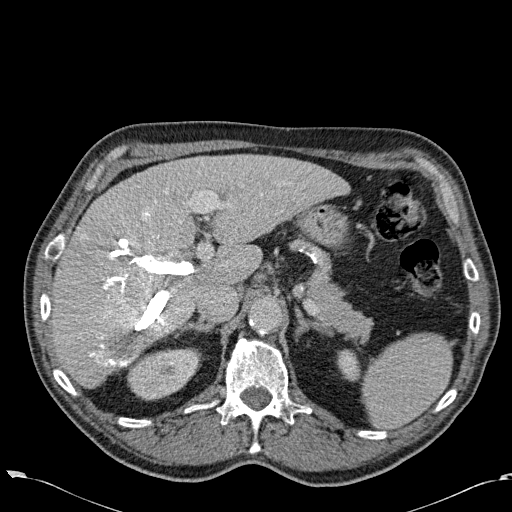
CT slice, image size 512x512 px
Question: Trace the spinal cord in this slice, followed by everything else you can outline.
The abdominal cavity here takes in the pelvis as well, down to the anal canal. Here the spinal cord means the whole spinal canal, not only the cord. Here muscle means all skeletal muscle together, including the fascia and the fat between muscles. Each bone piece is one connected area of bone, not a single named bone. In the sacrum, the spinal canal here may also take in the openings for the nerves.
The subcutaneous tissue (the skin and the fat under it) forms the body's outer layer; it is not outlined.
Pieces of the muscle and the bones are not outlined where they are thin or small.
Answer: Outlines:
spinal cord: (249, 387) (254, 387) (255, 388) (259, 388) (260, 387) (262, 387) (266, 389) (267, 391) (271, 395) (271, 399) (270, 401) (266, 405) (265, 405) (262, 408) (258, 410) (256, 410) (255, 409) (251, 408) (243, 401) (243, 400) (240, 396) (241, 393) (244, 390) (245, 390)
abdominal cavity: (240, 148) (287, 150) (372, 169) (411, 169) (429, 180) (462, 260) (469, 315) (452, 386) (415, 421) (391, 431) (346, 425) (289, 381) (276, 346) (255, 337) (234, 342) (224, 384) (208, 386) (150, 417) (100, 409) (59, 367) (50, 335) (52, 273) (92, 197) (133, 166)
bones 1: (244, 337) (261, 340) (281, 352) (288, 371) (289, 397) (312, 408) (309, 414) (296, 413) (291, 425) (264, 416) (257, 432) (261, 448) (252, 454) (248, 449) (253, 430) (246, 414) (222, 425) (214, 407) (183, 412) (195, 403) (214, 398) (223, 401) (226, 364) (235, 342) with a hole at (249, 387) (254, 387) (255, 388) (259, 388) (260, 387) (262, 387) (266, 389) (267, 391) (271, 395) (271, 399) (270, 401) (266, 405) (265, 405) (262, 408) (258, 410) (256, 410) (255, 409) (251, 408) (243, 401) (243, 400) (240, 396) (241, 393) (244, 390) (245, 390)
bones 2: (418, 157) (424, 158) (433, 164) (445, 177) (448, 182) (453, 193) (457, 206) (457, 211) (459, 214) (458, 223) (457, 224) (455, 224) (450, 218) (450, 216) (443, 201) (442, 195) (438, 187) (438, 182) (435, 179) (433, 175) (424, 167) (420, 165) (416, 160) (416, 158)
bones 3: (123, 144) (126, 145) (127, 147) (125, 152) (110, 162) (105, 161) (104, 162) (104, 168) (101, 173) (101, 175) (98, 178) (98, 180) (95, 184) (95, 187) (89, 191) (86, 190) (85, 189) (86, 183) (91, 178) (96, 166) (99, 163) (104, 161) (105, 156) (112, 149)
bones 4: (61, 232) (64, 233) (66, 237) (65, 246) (63, 249) (63, 251) (61, 253) (59, 257) (55, 261) (53, 261) (49, 259) (45, 259) (44, 258) (44, 251) (45, 250) (45, 248) (47, 244) (57, 234)
bones 5: (54, 368) (59, 368) (67, 376) (67, 377) (69, 379) (69, 380) (72, 384) (72, 385) (79, 393) (79, 394) (77, 396) (73, 396) (72, 395) (71, 395) (68, 392) (67, 392) (56, 381) (56, 380) (54, 378) (54, 377) (53, 376) (53, 374) (52, 373) (52, 370)
bones 6: (118, 416) (124, 416) (125, 417) (137, 418) (138, 419) (140, 418) (146, 418) (152, 421) (153, 423) (152, 425) (149, 425) (148, 426) (145, 426) (144, 427) (139, 427) (138, 428) (135, 428) (134, 427) (126, 427) (125, 426) (122, 426) (117, 423) (116, 419)
bones 7: (467, 257) (469, 257) (472, 260) (472, 261) (474, 263) (474, 264) (477, 269) (477, 271) (478, 272) (478, 275) (479, 276) (479, 278) (477, 281) (471, 281) (470, 280) (468, 280) (465, 277) (465, 276) (464, 275) (464, 273) (463, 272) (463, 268) (462, 267) (462, 261)
bones 8: (452, 387) (454, 388) (456, 388) (457, 389) (457, 394) (455, 398) (453, 400) (453, 401) (451, 402) (447, 406) (441, 409) (439, 411) (435, 413) (432, 412) (432, 410) (434, 408) (434, 407) (436, 405) (438, 401) (442, 397) (442, 396)
bones 9: (43, 292) (45, 292) (49, 296) (49, 298) (50, 299) (50, 311) (49, 312) (49, 316) (48, 317) (48, 318) (45, 321) (42, 321) (42, 320) (41, 319) (41, 315) (40, 314) (40, 297) (41, 296) (41, 294)
bones 10: (359, 430) (376, 430) (377, 431) (386, 431) (387, 432) (387, 436) (385, 438) (383, 438) (382, 439) (367, 439) (366, 438) (363, 438) (362, 437) (360, 437) (359, 436) (358, 436) (356, 434) (356, 432) (357, 431) (358, 431)
torso: (183, 120) (402, 128) (431, 139) (457, 163) (492, 256) (501, 316) (475, 394) (427, 447) (381, 474) (340, 486) (308, 486) (258, 464) (242, 465) (199, 482) (171, 481) (110, 457) (50, 396) (33, 364) (24, 324) (23, 275) (31, 242) (74, 167) (97, 140) (128, 124)
muscle: (212, 139) (352, 152) (409, 146) (429, 154) (450, 173) (462, 194) (488, 282) (489, 334) (467, 389) (430, 432) (350, 469) (303, 471) (253, 454) (262, 448) (258, 432) (264, 417) (291, 426) (296, 414) (313, 412) (307, 403) (290, 397) (289, 382) (367, 440) (385, 439) (388, 432) (430, 410) (439, 412) (458, 394) (453, 385) (468, 328) (477, 335) (481, 324) (480, 313) (470, 313) (467, 282) (479, 280) (478, 269) (469, 256) (462, 259) (429, 179) (411, 168) (364, 167) (287, 149) (214, 149) (124, 168) (91, 197) (67, 239) (61, 231) (43, 251) (45, 260) (55, 262) (50, 294) (43, 291) (39, 297) (39, 314) (42, 322) (49, 319) (58, 366) (52, 376) (67, 393) (77, 397) (77, 389) (100, 410) (117, 416) (118, 425) (138, 429) (153, 425) (147, 418) (178, 408) (208, 387) (224, 385) (222, 401) (214, 397) (195, 402) (182, 412) (214, 408) (222, 426) (246, 415) (252, 430) (249, 454) (201, 465) (151, 462) (111, 441) (55, 389) (33, 326) (33, 277) (40, 247) (75, 184) (96, 157) (111, 149) (85, 183) (86, 191) (93, 190) (105, 162) (126, 152) (124, 142), around a hole outlined by (418, 157) (424, 158) (433, 164) (445, 177) (448, 182) (453, 193) (457, 206) (457, 211) (459, 214) (458, 223) (457, 224) (455, 224) (450, 218) (450, 216) (443, 201) (442, 195) (438, 187) (438, 182) (435, 179) (433, 175) (424, 167) (420, 165) (416, 160) (416, 158)